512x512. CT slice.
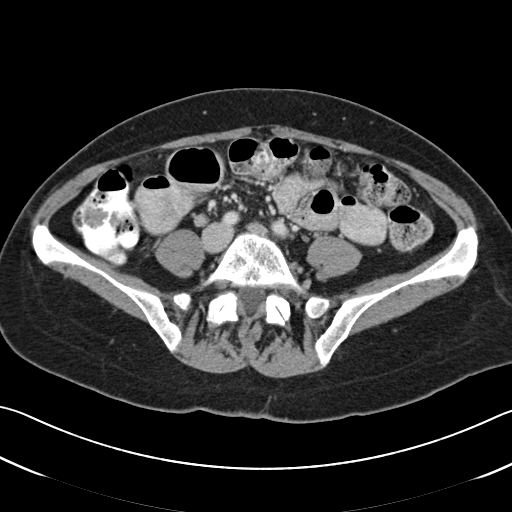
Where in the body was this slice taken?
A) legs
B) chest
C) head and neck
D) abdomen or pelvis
D) abdomen or pelvis
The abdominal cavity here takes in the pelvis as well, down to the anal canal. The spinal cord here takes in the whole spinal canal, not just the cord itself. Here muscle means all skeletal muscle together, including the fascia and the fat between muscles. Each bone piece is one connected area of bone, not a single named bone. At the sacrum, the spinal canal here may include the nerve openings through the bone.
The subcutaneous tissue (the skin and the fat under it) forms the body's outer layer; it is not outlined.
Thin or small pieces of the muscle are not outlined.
The abdominal cavity is outlined by 251 133; 291 137; 374 156; 394 166; 423 188; 452 220; 456 233; 451 244; 410 269; 384 274; 326 297; 301 286; 283 250; 265 231; 237 233; 213 272; 181 291; 163 291; 58 239; 50 230; 52 216; 107 168; 153 151; 236 139; inner edge: 182 229; 190 229; 195 232; 203 241; 203 243; 205 246; 205 251; 206 252; 206 259; 203 263; 201 269; 196 270; 194 272; 193 275; 186 278; 177 276; 163 267; 157 260; 154 253; 154 248; 155 248; 160 242; 178 230; 181 230. The muscle appears in 6 outlined pieces: piece 1: 62 242; 120 272; 135 275; 163 292; 178 292; 171 296; 171 300; 184 312; 191 307; 193 300; 192 295; 186 290; 200 283; 202 288; 214 284; 220 290; 208 301; 204 318; 207 323; 214 326; 238 322; 241 318; 249 324; 260 319; 266 324; 280 327; 286 325; 292 314; 291 304; 282 292; 301 296; 306 290; 315 294; 306 298; 303 311; 308 318; 318 319; 331 306; 328 297; 384 275; 410 270; 450 247; 439 258; 409 278; 378 291; 355 294; 344 299; 313 344; 319 368; 322 369; 276 378; 266 376; 251 366; 226 373; 212 373; 184 364; 172 354; 178 349; 182 340; 182 331; 170 319; 161 298; 148 290; 117 280; piece 2: 260 124; 279 124; 318 135; 341 139; 403 161; 437 178; 461 196; 472 209; 479 225; 480 247; 478 250; 479 237; 472 224; 463 226; 457 231; 453 220; 423 187; 401 169; 383 159; 374 155; 345 151; 291 136; 266 135; 257 132; 251 132; 236 138; 153 150; 107 167; 88 183; 75 198; 51 216; 49 227; 46 221; 36 223; 30 238; 32 215; 48 194; 87 167; 186 136; piece 3: 473 268; 475 270; 462 284; 455 289; 434 297; 411 311; 400 316; 384 323; 381 323; 377 326; 364 329; 349 336; 354 324; 359 317; 369 307; 391 293; 408 285; 413 285; 425 281; 439 280; 443 278; 459 278; 461 280; 464 280; piece 4: 182 229; 190 229; 195 232; 203 241; 203 243; 205 246; 205 251; 206 252; 206 259; 203 263; 201 269; 196 270; 194 272; 193 275; 186 278; 177 276; 163 267; 157 260; 154 253; 154 248; 155 248; 160 242; 178 230; 181 230; piece 5: 317 236; 330 236; 334 238; 337 238; 353 247; 359 253; 360 256; 360 259; 355 268; 353 270; 351 270; 349 272; 337 277; 332 277; 324 281; 317 280; 314 277; 315 269; 306 263; 305 261; 306 250; 308 246; 310 245; piece 6: 51 264; 65 264; 71 266; 78 266; 89 270; 101 276; 131 299; 140 309; 144 315; 147 323; 134 316; 132 316; 126 313; 121 309; 116 308; 81 283; 68 278; 63 278; 62 275; 60 273; 54 271; 47 266. The spinal cord is outlined by 246 286; 252 288; 255 287; 262 287; 265 289; 266 292; 263 302; 258 306; 257 309; 253 311; 249 311; 248 313; 248 312; 244 309; 242 302; 240 301; 237 292; 238 291; 237 290; 239 288; 245 287. The bones appear in 5 outlined pieces: piece 1: 245 231; 265 232; 275 241; 292 274; 305 290; 301 295; 281 292; 291 310; 284 326; 269 324; 260 318; 249 323; 241 317; 238 321; 226 321; 220 325; 206 321; 208 303; 221 290; 214 283; 202 287; 201 282; 214 272; 233 238 with a hole at 246 286; 252 288; 255 287; 262 287; 265 289; 266 292; 263 302; 258 306; 257 309; 253 311; 249 311; 248 313; 248 312; 244 309; 242 302; 240 301; 237 292; 238 291; 237 290; 239 288; 245 287; piece 2: 468 225; 472 225; 475 229; 478 247; 476 262; 464 279; 443 277; 425 280; 391 292; 369 306; 358 317; 348 336; 333 352; 327 365; 320 368; 314 348; 315 341; 330 324; 344 300; 355 295; 378 292; 421 272; 445 254; 457 232; piece 3: 43 222; 46 222; 49 230; 58 240; 92 265; 125 285; 142 289; 158 296; 169 319; 181 331; 181 340; 177 349; 171 353; 150 326; 141 309; 130 297; 101 275; 78 265; 65 263; 45 265; 42 263; 32 247; 31 238; 35 225; piece 4: 311 295; 319 295; 320 296; 322 296; 323 297; 328 298; 330 300; 330 306; 329 307; 329 308; 320 317; 319 317; 318 318; 310 318; 306 315; 306 314; 304 311; 304 303; 307 299; 307 298; piece 5: 182 291; 185 291; 186 292; 188 292; 191 295; 192 297; 192 300; 190 304; 190 307; 186 311; 184 311; 180 309; 180 308; 178 306; 177 306; 173 302; 172 300; 172 296; 175 293; 178 293. The torso is outlined by 235 87; 305 89; 365 105; 433 142; 479 183; 511 224; 511 364; 469 376; 421 400; 385 411; 329 421; 288 423; 203 410; 174 413; 139 407; 49 373; 12 351; 0 334; 0 248; 21 209; 38 186; 76 151; 122 120; 181 97.